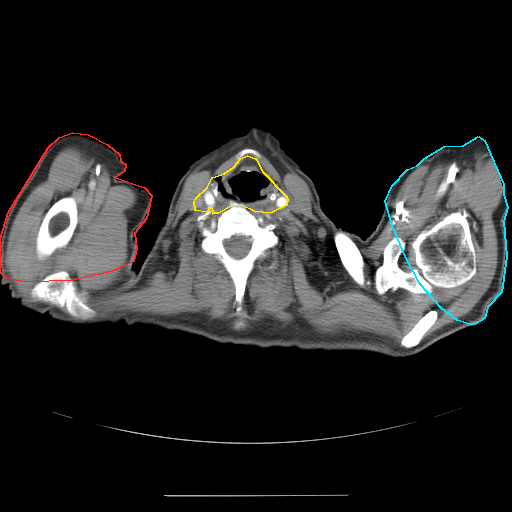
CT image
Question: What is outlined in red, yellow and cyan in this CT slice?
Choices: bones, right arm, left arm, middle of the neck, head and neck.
Answer: red: right arm; yellow: middle of the neck; cyan: left arm.
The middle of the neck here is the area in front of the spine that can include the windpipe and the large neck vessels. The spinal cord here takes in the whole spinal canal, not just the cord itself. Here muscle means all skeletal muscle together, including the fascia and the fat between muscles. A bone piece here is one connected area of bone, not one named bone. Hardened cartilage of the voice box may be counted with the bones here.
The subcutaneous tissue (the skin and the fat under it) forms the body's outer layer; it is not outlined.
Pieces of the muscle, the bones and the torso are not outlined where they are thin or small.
The right arm is outlined by [[72,132],[88,134],[107,144],[119,154],[120,160],[125,164],[124,171],[115,177],[144,187],[151,195],[146,218],[134,233],[136,248],[133,261],[112,271],[72,280],[25,282],[6,278],[0,272],[0,239],[8,212],[48,147],[59,137]]. The middle of the neck is outlined by [[247,155],[255,158],[262,171],[285,195],[287,198],[286,205],[270,213],[254,211],[241,205],[231,206],[218,213],[212,213],[214,212],[212,208],[208,208],[206,212],[195,210],[194,201],[196,197],[207,187],[212,177],[224,173],[234,166],[240,158]]. The left arm is outlined by [[478,136],[484,140],[503,184],[503,194],[507,207],[503,221],[506,256],[501,292],[487,307],[484,318],[474,324],[469,324],[457,320],[441,308],[420,284],[405,256],[392,225],[385,201],[392,185],[407,169],[417,165],[424,158],[444,146],[463,145]]. The bones appear in 6 outlined pieces: piece 1: [[457,211],[464,214],[468,221],[476,252],[476,271],[473,276],[455,287],[434,287],[431,293],[414,294],[398,288],[378,294],[374,278],[376,269],[383,262],[386,245],[395,237],[404,242],[398,265],[409,272],[416,267],[412,243],[417,236],[445,216]]; piece 2: [[235,206],[241,206],[258,217],[261,216],[266,224],[273,224],[273,231],[278,237],[277,244],[266,251],[266,256],[255,262],[247,279],[241,309],[238,312],[234,283],[215,257],[201,248],[204,237],[197,220],[199,215],[212,209],[210,223],[222,212]]; inner edge: [[233,236],[244,236],[245,237],[249,237],[248,239],[250,241],[250,248],[247,254],[242,258],[240,258],[239,259],[236,259],[232,256],[231,256],[229,254],[228,254],[228,253],[226,251],[226,249],[224,245],[224,241],[225,240],[230,239]]; piece 3: [[59,270],[66,271],[79,288],[83,288],[87,290],[88,292],[90,292],[88,303],[95,310],[95,313],[92,316],[86,319],[77,318],[72,316],[64,307],[60,308],[56,305],[50,303],[34,301],[32,299],[31,290],[33,286],[49,273]]; piece 4: [[64,197],[72,197],[75,201],[76,207],[77,208],[77,224],[73,231],[72,236],[69,242],[65,247],[60,249],[54,254],[44,260],[38,260],[36,258],[36,256],[35,255],[35,239],[36,238],[39,227],[46,212],[50,208],[50,207],[59,199]]; piece 5: [[336,231],[342,231],[348,234],[357,246],[362,256],[362,258],[363,259],[363,274],[364,275],[364,279],[365,280],[365,283],[362,286],[359,285],[350,276],[342,264],[342,262],[340,259],[339,254],[337,251],[337,249],[333,240],[333,235]]; piece 6: [[431,310],[435,310],[437,312],[437,318],[435,320],[434,323],[427,330],[427,331],[422,337],[421,340],[416,345],[415,345],[413,347],[409,347],[408,348],[405,348],[403,347],[400,344],[402,337],[413,327],[413,326],[417,322],[417,321],[425,313]]. The torso is outlined by [[385,203],[419,284],[451,317],[473,325],[407,357],[223,344],[123,322],[72,324],[23,307],[1,283],[1,276],[25,283],[72,281],[132,262],[138,270],[157,233],[157,265],[178,306],[210,331],[252,337],[281,321],[301,300],[328,219],[364,239]]. The muscle is outlined by [[255,135],[306,182],[361,287],[358,247],[382,231],[407,176],[460,153],[489,153],[503,184],[497,265],[467,314],[422,339],[438,318],[431,309],[399,346],[271,320],[236,333],[188,313],[87,319],[96,313],[91,292],[64,269],[37,281],[30,297],[84,320],[17,293],[5,270],[7,236],[65,146],[106,164],[112,185],[137,194],[126,212],[124,269],[108,290],[123,293],[142,284],[189,174]]; inner edges: [[244,148],[259,153],[257,163],[285,195],[287,203],[270,213],[248,210],[275,226],[273,231],[278,242],[255,262],[237,312],[232,279],[215,257],[200,246],[204,237],[197,217],[204,212],[194,209],[194,201],[214,175],[235,165],[238,152]], then [[457,211],[464,214],[468,221],[476,252],[476,271],[473,276],[455,287],[434,287],[431,293],[414,294],[398,288],[378,294],[374,278],[376,269],[383,262],[386,245],[395,237],[404,242],[398,265],[409,272],[416,267],[412,243],[417,236],[445,216]], then [[64,197],[72,197],[75,201],[76,207],[77,208],[77,224],[73,231],[72,236],[69,242],[65,247],[60,249],[54,254],[44,260],[38,260],[36,258],[36,256],[35,255],[35,239],[36,238],[39,227],[46,212],[50,208],[50,207],[59,199]], then [[238,321],[239,321],[240,321],[241,322],[242,323],[243,324],[242,325],[242,326],[241,326],[240,327],[239,328],[238,328],[237,328],[236,328],[235,327],[235,326],[235,325],[235,324],[236,323],[237,322]]. The spinal cord is outlined by [[233,236],[244,236],[245,237],[249,237],[248,239],[250,241],[250,248],[247,254],[242,258],[240,258],[239,259],[236,259],[232,256],[231,256],[229,254],[228,254],[228,253],[226,251],[226,249],[224,245],[224,241],[225,240],[230,239]]. The head and neck is outlined by [[251,124],[270,130],[277,136],[282,147],[312,180],[319,197],[320,207],[328,218],[316,264],[308,285],[294,308],[269,329],[259,334],[230,336],[198,324],[179,306],[158,265],[158,231],[166,218],[172,195],[184,171],[212,147],[232,135],[244,132]].